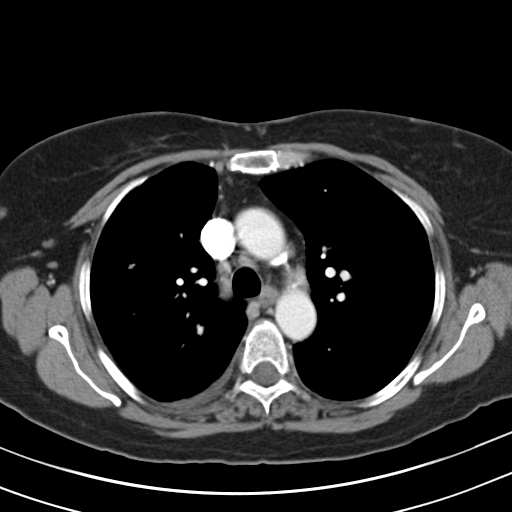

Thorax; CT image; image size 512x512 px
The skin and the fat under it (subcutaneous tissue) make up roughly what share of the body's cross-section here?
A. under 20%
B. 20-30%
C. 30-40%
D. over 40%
C. 30-40%
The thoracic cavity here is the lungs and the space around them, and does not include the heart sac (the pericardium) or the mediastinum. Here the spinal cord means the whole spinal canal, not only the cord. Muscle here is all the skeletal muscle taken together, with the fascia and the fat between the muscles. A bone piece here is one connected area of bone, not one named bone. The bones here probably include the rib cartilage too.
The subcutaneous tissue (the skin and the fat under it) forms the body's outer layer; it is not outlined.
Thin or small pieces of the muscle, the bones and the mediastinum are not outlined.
The bones appear in 9 outlined pieces: piece 1: 264,319 273,322 287,349 291,352 299,378 296,382 300,390 299,393 290,390 276,397 269,405 268,415 265,413 262,404 245,392 240,391 233,397 227,396 230,393 234,379 236,364 243,350 242,338 256,323, around a hole outlined by 262,362 269,362 272,365 274,366 274,367 276,369 278,373 285,373 285,380 277,380 274,383 270,385 267,385 266,386 264,385 262,385 256,382 254,380 246,380 246,373 252,373 255,367 258,364; piece 2: 476,302 483,306 485,317 467,328 459,346 437,369 416,385 414,385 410,379 397,392 378,404 369,407 359,407 356,405 389,383 419,352 421,353 421,361 417,372 427,369 440,359 457,341 470,307; piece 3: 257,149 294,150 301,152 307,152 311,155 311,160 305,159 304,160 292,161 281,168 280,170 278,170 275,172 271,172 268,174 252,174 251,173 243,173 240,171 231,171 223,165 230,157 236,153 256,150; piece 4: 56,324 63,325 67,329 68,339 69,340 71,351 81,370 99,388 104,391 113,393 119,397 121,400 121,405 120,406 114,405 109,399 99,394 77,373 65,347 59,341 50,337 48,335 48,329 51,326; piece 5: 98,345 100,346 113,360 115,364 124,374 124,375 141,392 141,393 143,395 143,397 145,399 145,401 146,402 145,404 142,404 132,398 120,387 120,386 110,375 98,356 98,354 97,353 97,346; piece 6: 437,261 439,262 444,272 444,275 445,276 445,297 444,298 443,307 442,308 442,311 440,317 435,327 431,330 429,324 429,321 431,317 433,304 434,303 434,295 435,294 435,271 434,270 434,267; piece 7: 87,259 89,259 91,262 90,271 89,272 89,296 91,302 91,310 92,311 92,316 93,317 92,320 90,322 87,320 82,309 82,306 79,297 79,287 78,286 79,283 79,273 80,272 80,269 83,262; piece 8: 144,174 147,174 149,177 141,184 138,185 129,191 122,198 122,199 115,207 109,216 107,221 100,230 100,232 100,224 101,223 103,215 105,213 106,209 114,199 114,198 123,189 123,188 128,182; piece 9: 392,188 395,188 402,193 405,194 411,199 412,199 418,204 419,204 423,208 432,226 433,233 431,235 429,236 427,235 426,231 424,229 422,224 420,222 420,221 418,219 418,218 416,216 414,212 392,190. The thoracic cavity appears in 2 outlined pieces: piece 1: 323,157 349,162 391,190 413,212 425,231 433,264 434,294 431,313 411,358 384,386 358,399 324,397 300,380 292,348 294,344 309,338 318,322 307,276 306,241 296,224 260,186 264,177 280,171 292,162; piece 2: 184,161 207,163 216,170 216,200 209,219 199,232 198,241 214,262 219,293 226,300 239,298 245,302 247,322 231,383 216,399 197,407 165,404 142,393 112,358 94,319 90,296 94,251 116,207 151,176. The mediastinum is outlined by 212,160 231,172 266,175 259,181 261,190 303,235 306,276 317,322 312,334 294,343 291,351 277,326 268,318 261,319 246,331 246,302 239,297 226,299 220,293 215,262 199,241 218,195 217,170 208,163. The torso is outlined by 327,108 377,110 442,122 479,133 511,149 510,398 481,406 467,417 395,449 341,461 252,465 136,460 98,450 63,437 31,422 0,403 0,171 16,155 35,142 64,129 132,112 171,110 237,122 257,122. The muscle is outlined by 284,142 332,143 387,160 427,190 444,210 454,269 466,270 490,261 511,264 511,331 494,346 486,361 386,421 350,433 265,426 172,438 49,389 2,325 0,276 29,264 67,278 80,242 64,232 64,222 129,166 163,153 197,148 253,149 236,152 224,163 212,159 206,163 180,161 153,175 144,173 128,181 102,215 91,261 85,259 79,269 81,309 89,323 93,318 111,356 98,344 97,356 132,399 145,405 144,396 165,405 197,408 216,400 231,384 227,397 245,393 257,400 268,416 271,403 280,395 301,392 298,380 324,398 362,399 355,405 369,408 393,396 410,380 414,386 420,384 457,350 468,328 486,317 484,306 476,301 469,307 456,341 440,358 417,371 422,353 412,357 428,324 431,331 436,327 446,297 446,276 440,262 433,263 428,237 434,230 424,208 349,161 329,156 312,158 309,152 294,149 264,148, around a hole outlined by 56,324 63,325 67,329 68,339 69,340 71,351 81,370 99,388 104,391 113,393 119,397 121,400 121,405 120,406 114,405 109,399 99,394 77,373 65,347 59,341 50,337 48,335 48,329 51,326. The spinal cord is outlined by 262,362 269,362 272,365 274,366 274,367 276,369 278,373 285,373 285,380 277,380 274,383 270,385 267,385 266,386 264,385 262,385 256,382 254,380 246,380 246,373 252,373 255,367 258,364.